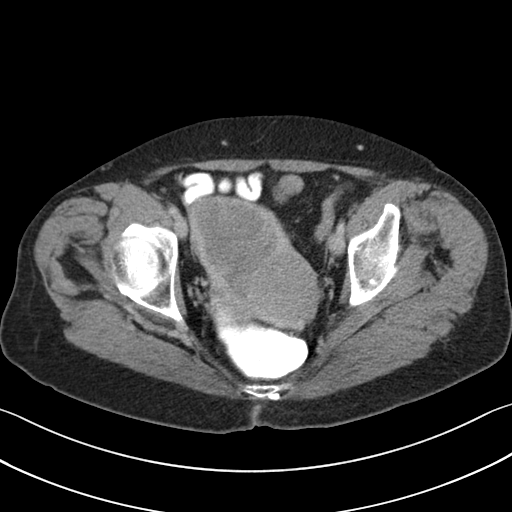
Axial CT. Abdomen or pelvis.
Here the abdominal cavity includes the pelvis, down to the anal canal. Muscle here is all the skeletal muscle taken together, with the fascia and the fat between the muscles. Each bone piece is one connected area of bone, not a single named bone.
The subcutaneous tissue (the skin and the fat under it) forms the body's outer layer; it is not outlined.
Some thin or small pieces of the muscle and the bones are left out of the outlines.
{"torso":[[[259,114],[319,116],[375,132],[427,156],[480,200],[504,249],[511,301],[511,339],[496,363],[439,392],[344,424],[291,430],[255,426],[218,434],[98,408],[34,380],[6,359],[0,348],[0,318],[14,283],[18,243],[53,194],[170,130],[210,118]]],"bones":[[[132,222],[138,222],[146,226],[160,225],[172,230],[177,235],[178,258],[174,274],[174,295],[178,309],[188,327],[185,331],[173,319],[138,304],[127,296],[123,295],[120,293],[115,285],[110,265],[110,252],[112,250],[114,243],[120,237],[120,234]],[[387,202],[391,202],[398,206],[401,214],[398,242],[400,249],[397,254],[395,262],[395,265],[397,266],[398,269],[385,287],[370,300],[355,306],[350,306],[348,302],[350,295],[350,278],[347,263],[348,241],[351,237],[372,227],[382,213],[384,204]],[[252,383],[257,383],[258,384],[290,383],[292,387],[285,390],[282,390],[280,392],[280,398],[278,400],[272,400],[267,397],[263,398],[254,397],[252,399],[250,399],[249,397],[250,396],[248,394],[242,392],[240,389],[243,385],[245,384],[251,384]]],"muscle":[[[224,158],[353,165],[451,192],[488,242],[473,306],[445,342],[410,364],[328,395],[279,400],[293,387],[276,383],[315,353],[347,267],[350,307],[397,273],[401,209],[385,202],[374,224],[348,240],[350,215],[375,186],[365,179],[267,163],[187,166],[150,189],[176,232],[130,222],[109,252],[111,277],[123,296],[189,327],[251,383],[239,389],[248,395],[250,400],[271,400],[265,403],[204,393],[75,346],[34,260],[44,221],[73,189]]],"abdominal_cavity":[[[265,164],[274,170],[291,172],[335,169],[374,185],[345,224],[347,266],[339,298],[328,322],[317,337],[314,353],[302,366],[275,383],[258,383],[245,379],[216,357],[188,325],[178,265],[176,224],[161,198],[151,189],[162,176],[179,168],[243,172]]]}